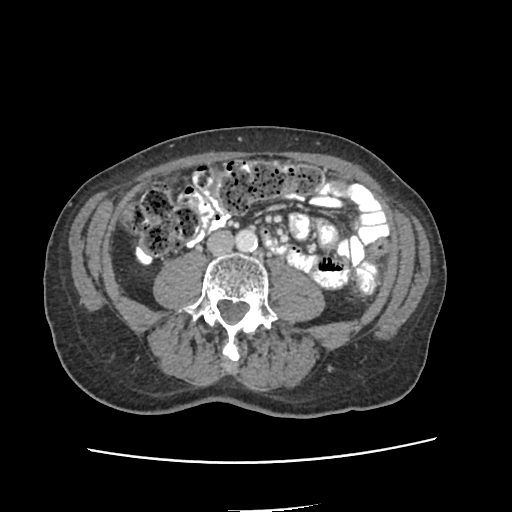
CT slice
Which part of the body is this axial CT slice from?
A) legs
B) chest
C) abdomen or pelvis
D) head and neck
C) abdomen or pelvis
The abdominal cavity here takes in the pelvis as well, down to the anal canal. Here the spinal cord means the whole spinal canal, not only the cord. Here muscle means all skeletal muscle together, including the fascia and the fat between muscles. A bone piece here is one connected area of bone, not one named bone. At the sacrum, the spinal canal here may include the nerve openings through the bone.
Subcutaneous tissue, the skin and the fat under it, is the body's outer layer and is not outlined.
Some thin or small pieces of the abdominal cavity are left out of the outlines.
{"muscle":[{"outer":[[261,393],[282,392],[301,384],[313,373],[325,355],[338,347],[360,340],[387,341],[396,334],[398,329],[417,307],[430,282],[431,245],[419,217],[396,199],[363,166],[332,154],[299,150],[211,150],[194,153],[144,169],[131,179],[97,191],[90,196],[74,218],[68,237],[71,277],[87,310],[92,313],[104,313],[120,324],[138,343],[153,365],[180,384],[192,388],[203,387],[215,383],[226,375],[232,375],[247,389]],"hole":[[232,361],[239,331],[278,319],[268,304],[271,259],[322,292],[326,307],[308,323],[358,319],[373,302],[389,219],[359,181],[255,154],[166,173],[126,201],[112,236],[116,280],[159,309],[151,287],[163,263],[203,253],[201,295],[178,312],[223,327]]}],"abdominal_cavity":[[[308,323],[360,318],[385,281],[389,219],[356,179],[288,156],[235,156],[157,177],[120,210],[112,262],[116,280],[130,297],[162,308],[151,287],[165,261],[198,251],[208,262],[238,251],[258,258],[269,272],[267,262],[279,259],[319,288],[326,307]]],"bones":[{"outer":[[232,361],[239,358],[234,342],[239,331],[253,333],[260,325],[269,329],[278,319],[268,304],[265,266],[258,259],[238,252],[212,259],[203,274],[201,295],[178,310],[188,313],[193,322],[202,317],[211,327],[216,323],[223,327],[228,340],[222,353]],"hole":[[230,324],[233,324],[237,322],[244,315],[244,314],[247,311],[249,307],[246,303],[244,302],[237,302],[236,303],[233,303],[231,301],[229,301],[228,300],[221,300],[218,302],[218,307],[221,312],[221,315],[223,317],[223,318],[228,323]]}],"spinal_cord":[[[230,324],[233,324],[237,322],[244,315],[244,314],[247,311],[249,307],[246,303],[244,302],[237,302],[236,303],[233,303],[231,301],[229,301],[228,300],[221,300],[218,302],[218,307],[221,312],[221,315],[223,317],[223,318],[228,323]]],"torso":[[[288,418],[313,418],[389,405],[416,384],[426,362],[447,282],[440,232],[421,195],[363,145],[330,132],[282,125],[216,127],[171,137],[127,156],[82,183],[55,221],[43,270],[45,317],[60,363],[72,381],[95,400],[130,413],[167,414],[218,401]]]}